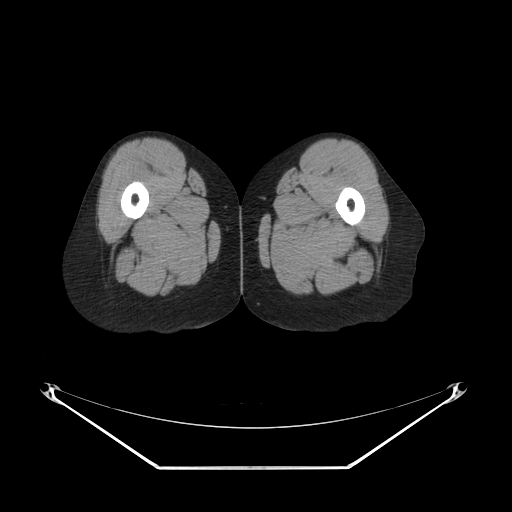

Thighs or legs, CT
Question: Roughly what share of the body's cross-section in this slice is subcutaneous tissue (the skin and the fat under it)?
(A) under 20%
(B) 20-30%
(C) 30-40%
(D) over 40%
Answer: (D) over 40%
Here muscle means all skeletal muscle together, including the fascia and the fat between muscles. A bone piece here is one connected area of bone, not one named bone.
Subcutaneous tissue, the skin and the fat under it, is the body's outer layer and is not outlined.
The right leg is outlined by [[148,129],[175,134],[212,159],[234,186],[240,206],[241,298],[233,310],[220,319],[198,329],[184,330],[171,335],[153,332],[126,335],[95,327],[83,319],[72,307],[66,296],[61,276],[63,250],[84,193],[99,161],[110,146],[120,138],[136,131]]. The bones appear in 2 outlined pieces: piece 1: [[344,186],[351,186],[355,188],[360,192],[364,199],[364,203],[365,204],[365,213],[364,214],[364,216],[361,221],[359,223],[355,225],[350,225],[346,223],[341,218],[335,208],[335,202],[337,200],[337,198],[338,197],[339,193]]; piece 2: [[134,180],[138,180],[143,182],[144,185],[147,188],[149,192],[149,203],[147,206],[147,208],[144,213],[139,218],[137,218],[136,219],[133,219],[132,218],[129,218],[127,217],[121,210],[121,207],[120,206],[120,198],[124,188],[129,183]]. The left leg is outlined by [[324,131],[347,133],[361,140],[371,149],[419,212],[425,226],[425,237],[417,256],[412,297],[387,321],[362,323],[346,327],[336,333],[296,332],[279,328],[262,320],[252,313],[244,303],[242,298],[240,254],[240,202],[250,180],[268,160],[295,142]]. The muscle appears in 2 outlined pieces: piece 1: [[326,137],[335,137],[339,139],[345,138],[352,140],[370,155],[386,196],[390,214],[391,229],[388,233],[388,248],[385,267],[375,286],[343,300],[306,302],[291,299],[281,293],[263,273],[259,256],[259,223],[265,203],[286,163],[293,156],[313,142]]; inner edge: [[344,186],[351,186],[355,188],[360,192],[364,199],[364,203],[365,204],[365,213],[364,214],[364,216],[361,221],[359,223],[355,225],[350,225],[346,223],[341,218],[335,208],[335,202],[337,200],[337,198],[338,197],[339,193]]; piece 2: [[146,136],[155,136],[171,141],[198,170],[211,195],[221,230],[219,257],[215,271],[207,280],[202,285],[185,291],[182,294],[143,301],[112,300],[105,288],[102,275],[100,240],[95,226],[96,195],[98,195],[102,181],[103,170],[111,155],[126,141]]; inner edge: [[134,180],[138,180],[143,182],[144,185],[147,188],[149,192],[149,203],[147,206],[147,208],[144,213],[139,218],[137,218],[136,219],[133,219],[132,218],[129,218],[127,217],[121,210],[121,207],[120,206],[120,198],[124,188],[129,183]].